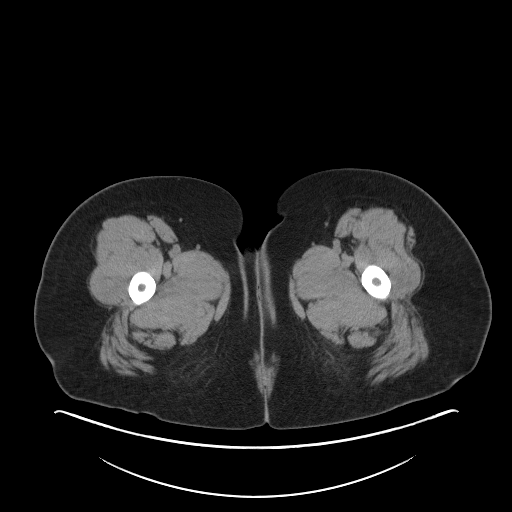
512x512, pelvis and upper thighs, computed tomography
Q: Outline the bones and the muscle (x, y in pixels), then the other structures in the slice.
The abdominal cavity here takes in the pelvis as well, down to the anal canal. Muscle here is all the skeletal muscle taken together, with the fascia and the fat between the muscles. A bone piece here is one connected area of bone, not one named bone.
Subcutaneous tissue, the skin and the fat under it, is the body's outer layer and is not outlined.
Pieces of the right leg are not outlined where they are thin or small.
A: {"bones":[[[369,264],[375,264],[382,268],[388,275],[390,279],[390,281],[391,282],[391,288],[390,289],[390,291],[389,292],[388,296],[383,300],[375,298],[370,295],[366,291],[366,290],[361,284],[361,282],[360,281],[360,279],[361,278],[361,274],[364,268]],[[142,270],[144,271],[147,271],[153,277],[156,283],[156,289],[153,295],[147,301],[139,305],[136,305],[132,301],[131,298],[129,296],[127,288],[128,287],[128,284],[129,283],[129,281],[131,277],[133,275],[133,274],[137,271],[141,271]]],"muscle":[{"outer":[[360,205],[396,207],[413,227],[416,239],[413,251],[422,263],[425,277],[412,301],[421,315],[429,347],[425,361],[407,374],[388,383],[367,387],[313,341],[294,312],[288,295],[288,279],[296,259],[313,243],[317,244],[330,235],[348,208]],"hole":[[369,264],[375,264],[382,268],[388,275],[390,279],[390,281],[391,282],[391,288],[390,289],[390,291],[389,292],[388,296],[383,300],[375,298],[370,295],[366,291],[366,290],[361,284],[361,282],[360,281],[360,279],[361,278],[361,274],[364,268]]},{"outer":[[129,212],[151,213],[162,217],[178,238],[219,260],[229,273],[231,283],[229,303],[219,321],[167,366],[155,374],[142,377],[113,374],[101,364],[100,334],[106,318],[104,309],[93,299],[87,288],[89,275],[96,263],[89,250],[96,227],[107,217]],"hole":[[142,270],[144,271],[147,271],[153,277],[156,283],[156,289],[153,295],[147,301],[139,305],[136,305],[132,301],[131,298],[129,296],[127,288],[128,287],[128,284],[129,283],[129,281],[131,277],[133,275],[133,274],[137,271],[141,271]]},{"outer":[[255,356],[259,357],[267,365],[269,364],[271,360],[275,358],[277,358],[277,360],[279,363],[279,367],[276,372],[276,375],[273,384],[273,388],[270,395],[267,395],[266,393],[260,392],[257,387],[257,383],[254,375],[254,370],[250,364],[250,361]],"hole":[[262,368],[265,368],[267,370],[268,370],[269,371],[269,376],[268,377],[268,379],[267,380],[267,381],[264,381],[264,380],[263,379],[263,378],[262,377]]}],"right_leg":[[[147,175],[185,175],[223,187],[237,200],[243,213],[238,246],[242,250],[248,244],[256,248],[260,243],[259,297],[268,424],[230,430],[166,422],[147,413],[76,400],[64,393],[54,378],[33,326],[35,293],[51,240],[66,217],[84,199],[112,183]]],"left_leg":[[[338,167],[374,168],[404,177],[427,191],[447,211],[469,240],[483,267],[492,300],[491,324],[474,369],[442,393],[357,420],[307,428],[274,429],[269,425],[268,415],[260,297],[261,243],[269,230],[281,219],[276,213],[275,205],[286,187],[310,173]]],"abdominal_cavity":[[[262,368],[265,368],[267,370],[268,370],[269,371],[269,376],[268,377],[268,379],[267,380],[267,381],[264,381],[264,380],[263,379],[263,378],[262,377]]]}